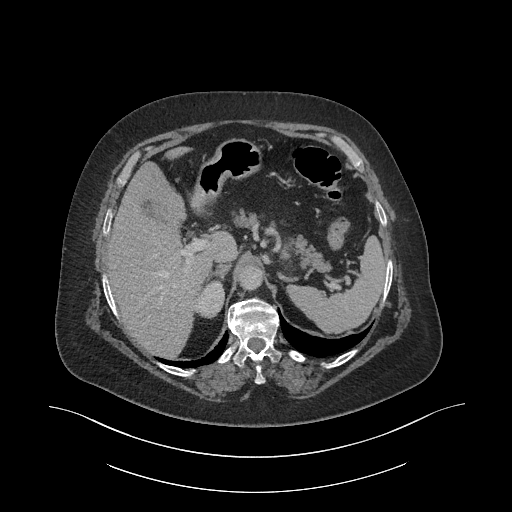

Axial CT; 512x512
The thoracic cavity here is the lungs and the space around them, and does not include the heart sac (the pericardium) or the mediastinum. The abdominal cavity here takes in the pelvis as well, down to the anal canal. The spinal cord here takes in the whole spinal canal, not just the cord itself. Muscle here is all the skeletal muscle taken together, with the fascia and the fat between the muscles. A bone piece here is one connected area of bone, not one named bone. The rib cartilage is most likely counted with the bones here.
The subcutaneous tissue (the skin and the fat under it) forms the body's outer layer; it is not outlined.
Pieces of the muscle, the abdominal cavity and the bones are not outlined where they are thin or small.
The bones appear in 10 outlined pieces: piece 1: [[251,297],[260,298],[275,306],[279,317],[277,335],[281,333],[286,342],[275,343],[282,351],[276,362],[268,356],[260,362],[265,379],[262,384],[254,382],[256,363],[249,357],[242,366],[231,359],[223,363],[216,362],[232,335],[227,323],[230,305]]; inner edge: [[251,338],[259,338],[260,339],[261,339],[264,342],[264,346],[258,352],[256,352],[255,351],[254,351],[252,349],[251,349],[248,346],[248,342],[249,341],[249,340]]; piece 2: [[320,132],[326,133],[328,135],[336,135],[342,138],[362,159],[363,161],[363,165],[364,166],[364,170],[362,172],[360,172],[354,168],[350,160],[339,148],[338,148],[331,141],[330,141],[330,140],[327,137],[323,137],[322,136],[318,135],[318,133]]; piece 3: [[137,150],[141,150],[142,151],[142,154],[141,156],[133,166],[129,174],[129,176],[127,179],[127,181],[125,183],[125,184],[122,187],[118,187],[116,184],[116,177],[121,171],[122,168],[124,166],[130,156],[135,151]]; piece 4: [[103,272],[105,272],[107,274],[107,279],[109,282],[109,286],[111,290],[111,293],[115,302],[115,305],[119,314],[120,319],[117,319],[115,317],[106,301],[106,299],[103,292],[103,289],[102,288],[102,283],[101,282],[101,275]]; piece 5: [[354,347],[359,347],[360,349],[350,359],[349,359],[343,364],[339,366],[334,367],[333,368],[330,368],[329,369],[326,369],[322,367],[320,365],[320,363],[322,361],[324,362],[330,362],[332,361],[337,356],[342,354],[344,352]]; piece 6: [[155,359],[158,361],[160,361],[162,363],[168,364],[169,365],[172,365],[173,366],[179,367],[183,369],[188,369],[189,368],[196,368],[196,372],[195,372],[190,378],[186,378],[185,377],[178,376],[177,375],[169,373],[159,366],[158,366],[153,361]]; piece 7: [[389,258],[392,260],[392,264],[393,265],[392,281],[391,282],[391,286],[387,295],[386,300],[383,306],[381,308],[380,307],[380,302],[382,299],[382,296],[384,291],[384,283],[385,282],[385,275],[386,274],[386,266],[387,265],[387,260]]; piece 8: [[375,199],[377,199],[378,201],[381,204],[386,214],[386,217],[387,218],[387,224],[386,226],[384,227],[380,225],[380,222],[376,214],[376,211],[375,210],[375,207],[374,206],[374,200]]; piece 9: [[109,207],[111,207],[113,210],[113,216],[111,220],[111,225],[110,226],[109,233],[107,236],[105,236],[103,235],[102,233],[102,226],[103,225],[103,221],[105,217],[105,214],[106,213],[106,211]]; piece 10: [[291,348],[292,349],[294,349],[295,350],[296,350],[298,352],[299,352],[300,353],[305,355],[306,356],[306,360],[305,360],[303,362],[301,362],[300,361],[296,361],[295,360],[292,359],[288,355],[288,354],[287,353],[287,351],[289,349],[290,349]]. The torso is outlined by [[214,90],[293,91],[329,98],[360,113],[384,139],[424,228],[430,283],[443,334],[439,360],[421,383],[369,407],[325,420],[277,427],[234,427],[152,411],[85,382],[66,369],[54,332],[62,240],[72,195],[91,151],[114,123],[143,104],[178,93]]. The muscle is outlined by [[225,119],[308,123],[347,135],[370,163],[396,215],[396,236],[411,308],[407,326],[398,339],[310,398],[283,397],[263,384],[266,379],[261,362],[268,357],[276,363],[283,355],[276,343],[287,343],[290,348],[286,353],[296,362],[303,363],[307,356],[334,357],[330,361],[322,360],[319,363],[322,368],[329,370],[343,365],[361,349],[355,346],[370,330],[393,281],[393,260],[386,258],[380,231],[380,226],[384,228],[388,224],[386,211],[377,198],[371,201],[368,197],[367,185],[358,174],[365,170],[364,161],[339,135],[317,133],[332,145],[286,135],[269,127],[225,123],[195,133],[141,161],[143,151],[137,149],[115,177],[116,186],[122,188],[114,211],[111,206],[106,209],[101,226],[107,241],[106,272],[101,273],[100,282],[112,314],[121,320],[129,335],[158,367],[178,377],[190,379],[198,367],[214,362],[223,364],[231,360],[242,367],[249,358],[255,363],[253,382],[257,385],[245,399],[215,402],[178,388],[139,366],[85,322],[94,281],[92,229],[114,167],[129,148],[146,138],[182,126]]. The spinal cord is outlined by [[251,338],[259,338],[260,339],[261,339],[264,342],[264,346],[258,352],[256,352],[255,351],[254,351],[252,349],[251,349],[248,346],[248,342],[249,341],[249,340]]. The mediastinum is outlined by [[249,259],[254,259],[261,269],[263,270],[263,273],[265,275],[265,281],[267,284],[269,293],[279,307],[278,308],[275,305],[257,296],[251,296],[243,299],[236,300],[232,302],[229,306],[229,304],[236,291],[236,280],[235,279],[235,270],[236,267]]. The thoracic cavity appears in 2 outlined pieces: piece 1: [[277,310],[280,312],[285,321],[294,328],[312,336],[327,340],[337,340],[352,334],[357,334],[371,325],[365,336],[358,343],[353,347],[344,351],[335,357],[334,356],[313,357],[306,355],[296,349],[292,348],[286,341],[280,331],[280,317]]; piece 2: [[228,330],[229,335],[228,336],[227,345],[215,361],[213,362],[200,365],[197,367],[183,368],[179,366],[162,362],[155,358],[161,358],[172,361],[193,361],[194,360],[198,360],[200,358],[203,358],[204,356],[210,352],[218,342],[220,341],[224,333]]. The abdominal cavity is outlined by [[232,123],[321,141],[346,156],[366,185],[383,240],[386,265],[379,307],[371,324],[357,333],[337,339],[312,335],[286,321],[264,270],[249,258],[235,267],[228,329],[214,347],[193,360],[154,358],[124,325],[108,279],[106,246],[117,202],[138,161]].